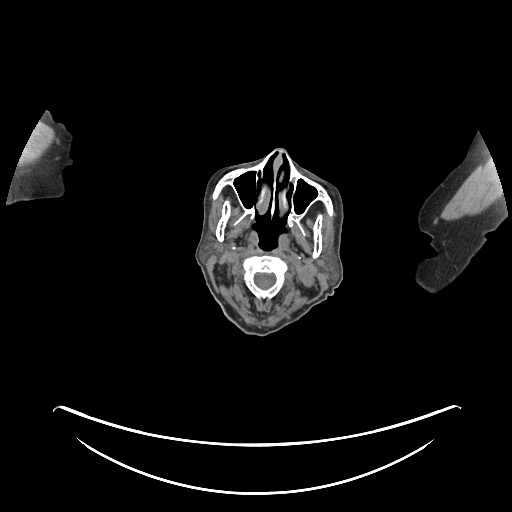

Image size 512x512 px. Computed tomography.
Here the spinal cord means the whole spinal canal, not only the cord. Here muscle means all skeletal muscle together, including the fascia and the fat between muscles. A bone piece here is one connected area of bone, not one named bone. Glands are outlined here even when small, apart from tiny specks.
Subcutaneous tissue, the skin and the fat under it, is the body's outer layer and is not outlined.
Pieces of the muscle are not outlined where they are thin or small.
{"left_arm":[[[477,130],[487,147],[499,178],[507,210],[507,219],[496,230],[486,234],[487,241],[483,247],[451,284],[441,292],[431,294],[422,289],[414,280],[414,270],[418,262],[435,254],[435,251],[429,244],[430,237],[418,228],[418,211],[428,195],[463,159]]],"muscle":[{"outer":[[226,187],[231,188],[242,210],[234,223],[247,216],[254,221],[251,226],[262,250],[275,248],[286,226],[290,229],[295,225],[303,234],[301,221],[315,202],[320,202],[332,217],[334,215],[334,205],[332,198],[326,188],[334,194],[336,217],[333,246],[328,245],[318,261],[329,286],[317,299],[274,326],[258,328],[244,323],[216,292],[204,264],[211,255],[221,251],[231,215],[231,203],[225,199],[214,235],[210,232],[209,197],[211,193],[215,200]],"holes":[[[253,255],[258,255],[259,256],[261,255],[277,256],[284,260],[287,264],[287,270],[284,274],[284,282],[283,283],[283,285],[279,291],[270,299],[258,299],[249,290],[243,280],[243,273],[244,272],[243,266],[242,265],[243,260],[245,258]],[[320,213],[322,215],[322,227],[321,228],[321,234],[322,235],[322,250],[320,254],[318,256],[318,257],[316,258],[313,258],[312,257],[312,252],[313,251],[313,231],[312,230],[312,228],[315,222],[315,220],[316,219],[316,217],[317,215]]]},[[490,156],[499,178],[504,198],[499,202],[492,205],[482,213],[475,216],[472,216],[470,218],[462,220],[457,220],[456,221],[451,221],[450,222],[435,223],[434,222],[434,217],[441,211],[443,207],[451,198],[474,167],[486,157],[488,158]],[[40,120],[45,123],[47,123],[54,130],[56,133],[57,138],[50,146],[48,150],[35,163],[28,166],[16,167],[18,164],[22,152],[26,147],[28,142],[30,140],[30,138],[32,137],[32,134],[34,133],[34,130],[36,129],[36,127],[38,125]]],"head_and_neck":[{"outer":[[276,148],[285,149],[293,162],[330,182],[338,189],[343,204],[339,249],[343,277],[332,295],[312,307],[297,321],[273,333],[258,336],[244,333],[226,317],[205,283],[202,271],[195,258],[195,250],[202,229],[204,192],[212,174],[225,166],[264,158]],"holes":[[[277,200],[278,213],[281,217],[285,216],[286,218],[285,231],[282,232],[277,237],[277,245],[275,247],[272,249],[262,249],[259,245],[258,234],[252,226],[255,222],[255,216],[258,213],[263,214],[269,207],[269,213],[271,216],[273,216],[275,213]],[[248,173],[253,173],[254,174],[254,186],[255,187],[255,189],[256,190],[257,189],[258,190],[257,195],[255,198],[255,201],[252,205],[248,207],[246,206],[242,201],[242,199],[240,196],[240,194],[235,185],[235,182],[238,178]],[[300,180],[302,182],[303,182],[311,188],[313,188],[313,189],[315,191],[315,196],[311,200],[310,200],[308,202],[308,203],[305,206],[305,207],[301,212],[297,212],[295,209],[295,194],[296,193],[296,191],[297,190],[297,185],[298,184],[298,182]],[[275,153],[276,153],[276,154],[273,158],[272,164],[271,165],[271,170],[272,171],[272,179],[271,180],[271,183],[269,183],[265,180],[266,178],[266,171],[265,170],[266,169],[265,168],[266,167],[266,165],[269,159],[271,157],[271,156],[272,156]],[[283,155],[285,156],[287,160],[287,162],[288,163],[288,175],[287,176],[287,178],[286,179],[285,183],[283,185],[282,185],[278,190],[277,190],[277,185],[278,184],[282,184],[285,181],[285,176],[286,175],[286,172],[283,169],[280,169],[283,164]]]}],"parotid_glands":[[[330,245],[331,245],[333,247],[333,250],[334,251],[334,253],[336,257],[336,260],[337,261],[337,266],[338,267],[338,275],[336,279],[330,284],[326,276],[323,273],[323,272],[319,267],[319,261],[322,258],[323,256],[323,254],[326,248]],[[208,230],[209,231],[209,232],[210,233],[211,233],[214,236],[214,237],[216,239],[216,240],[217,241],[218,241],[221,244],[221,249],[220,250],[220,251],[217,254],[211,254],[204,262],[203,261],[202,261],[202,260],[200,258],[200,248],[207,235]]],"bones":[{"outer":[[276,148],[285,150],[302,174],[321,184],[326,189],[332,201],[332,216],[328,214],[324,205],[318,200],[310,206],[300,221],[303,233],[295,224],[290,228],[287,226],[286,216],[281,216],[279,213],[279,202],[277,199],[273,215],[270,213],[269,206],[263,213],[256,213],[254,220],[251,220],[247,215],[235,223],[243,213],[243,210],[232,188],[226,186],[215,199],[212,198],[216,183],[225,173],[234,169],[253,166]],"holes":[[[248,173],[253,173],[254,174],[254,186],[255,187],[255,189],[256,190],[257,189],[258,190],[257,195],[255,198],[255,201],[252,205],[248,207],[246,206],[242,201],[242,199],[240,196],[240,194],[235,185],[235,182],[238,178]],[[300,180],[302,182],[303,182],[311,188],[313,188],[313,189],[315,191],[315,196],[311,200],[310,200],[308,202],[308,203],[305,206],[305,207],[301,212],[297,212],[295,209],[295,194],[296,193],[296,191],[297,190],[297,185],[298,184],[298,182]],[[275,153],[276,153],[276,154],[273,158],[272,164],[271,165],[271,170],[272,171],[272,179],[271,180],[271,183],[269,183],[265,180],[266,178],[266,171],[265,170],[266,169],[265,168],[266,167],[266,165],[269,159],[271,157],[271,156],[272,156]],[[283,155],[285,156],[287,160],[287,162],[288,163],[288,175],[287,176],[287,178],[286,179],[285,183],[283,185],[282,185],[278,190],[277,190],[277,185],[278,184],[282,184],[285,181],[285,176],[286,175],[286,172],[283,169],[280,169],[283,164]]]},{"outer":[[253,255],[258,255],[259,256],[261,255],[277,256],[284,260],[287,264],[287,270],[284,274],[284,282],[283,283],[283,285],[279,291],[270,299],[258,299],[249,290],[243,280],[243,273],[244,272],[243,266],[242,265],[243,260],[245,258]],"hole":[[256,273],[266,273],[267,274],[270,274],[271,273],[272,273],[274,275],[274,276],[275,277],[275,281],[274,282],[274,283],[271,286],[270,286],[265,289],[264,289],[263,288],[261,288],[260,287],[259,287],[255,283],[255,282],[254,281],[254,276]]},[[320,213],[322,215],[322,227],[321,228],[321,234],[322,235],[322,250],[320,254],[318,256],[318,257],[316,258],[313,258],[312,257],[312,252],[313,251],[313,231],[312,230],[312,228],[315,222],[315,220],[316,219],[316,217],[317,215]],[[227,199],[230,203],[230,215],[228,218],[228,220],[227,221],[227,223],[226,224],[226,226],[224,230],[224,239],[223,241],[221,242],[217,239],[215,235],[215,230],[216,229],[216,226],[217,225],[217,223],[221,216],[222,205],[224,201]]],"spinal_cord":[[[256,273],[266,273],[267,274],[270,274],[271,273],[272,273],[274,275],[274,276],[275,277],[275,281],[274,282],[274,283],[271,286],[270,286],[265,289],[264,289],[263,288],[261,288],[260,287],[259,287],[255,283],[255,282],[254,281],[254,276]]],"right_arm":[[[46,110],[50,111],[56,121],[63,123],[73,137],[70,148],[70,155],[73,159],[73,163],[63,170],[65,193],[63,196],[57,198],[23,201],[8,206],[6,205],[6,200],[19,159],[30,138],[32,137],[32,134],[34,133],[40,118]]]}